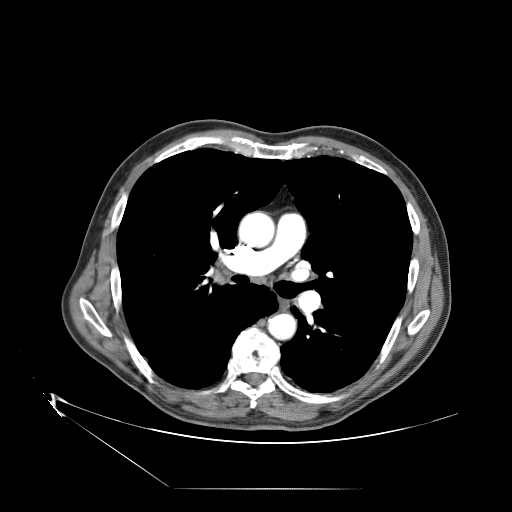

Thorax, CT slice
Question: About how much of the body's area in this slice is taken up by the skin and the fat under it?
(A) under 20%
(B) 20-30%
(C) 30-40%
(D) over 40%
Answer: (A) under 20%
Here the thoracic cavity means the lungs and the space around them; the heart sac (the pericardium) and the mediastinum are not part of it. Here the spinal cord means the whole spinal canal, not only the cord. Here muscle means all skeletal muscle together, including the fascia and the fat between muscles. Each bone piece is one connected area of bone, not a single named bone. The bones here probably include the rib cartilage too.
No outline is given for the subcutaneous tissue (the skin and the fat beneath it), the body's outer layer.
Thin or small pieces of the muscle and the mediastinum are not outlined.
{"mediastinum":[[[299,212],[309,231],[301,253],[311,277],[295,287],[295,294],[301,295],[290,310],[297,320],[297,329],[280,347],[254,324],[277,308],[275,295],[263,285],[233,281],[224,260],[237,244],[238,225],[257,232],[270,232],[287,216],[297,216]],[[283,180],[285,184],[287,186],[288,190],[293,196],[293,198],[294,199],[294,205],[296,207],[296,208],[294,206],[282,206],[278,208],[262,208],[261,209],[257,209],[262,206],[266,205],[275,197],[275,196],[280,189],[280,187],[281,186],[281,184]],[[250,212],[251,212],[250,213],[250,214],[249,214],[248,215],[247,215],[246,216],[246,217],[245,217],[244,218],[244,219],[241,222],[240,222],[239,223],[239,222],[240,221],[240,220],[246,214],[247,214],[248,213],[249,213]]],"thoracic_cavity":[[[204,146],[283,162],[339,156],[401,193],[406,293],[355,381],[311,392],[279,364],[298,329],[296,287],[312,277],[310,231],[283,179],[239,220],[223,260],[276,308],[239,332],[222,379],[174,385],[137,348],[116,251],[129,194],[151,166]]],"bones":[{"outer":[[252,325],[277,344],[281,372],[293,385],[311,393],[337,395],[350,392],[350,395],[328,403],[308,403],[277,387],[258,397],[255,407],[251,408],[250,399],[244,393],[230,388],[224,392],[196,394],[196,391],[212,387],[223,379],[233,343],[241,331]],"hole":[[250,372],[257,372],[258,373],[260,373],[261,374],[262,374],[264,376],[264,379],[259,384],[258,384],[257,385],[256,385],[255,386],[254,386],[253,385],[252,385],[251,384],[250,384],[248,382],[247,382],[245,380],[245,376],[248,373],[249,373]]},[[201,135],[235,135],[256,142],[272,145],[286,145],[293,142],[308,142],[311,145],[316,145],[318,149],[312,152],[309,156],[279,159],[246,156],[241,153],[236,153],[223,145],[208,144],[176,153],[150,166],[150,163],[166,149],[183,141],[188,137]],[[123,334],[127,335],[132,339],[136,348],[138,350],[140,354],[147,361],[149,366],[158,377],[156,379],[157,380],[158,384],[150,383],[140,372],[138,368],[135,365],[134,362],[132,360],[130,356],[130,354],[128,350],[126,348],[126,346],[123,339]],[[80,297],[83,297],[87,299],[92,304],[92,305],[96,310],[98,315],[112,333],[112,336],[111,337],[109,337],[108,336],[106,336],[105,335],[101,334],[96,329],[96,328],[84,317],[83,313],[81,310],[80,305],[79,304],[79,298]],[[400,312],[402,312],[403,314],[403,318],[402,319],[401,325],[400,326],[399,331],[397,334],[397,336],[385,359],[380,364],[378,368],[375,368],[375,366],[376,365],[375,360],[380,352],[380,350],[386,339],[386,337],[391,328],[391,326],[393,322]],[[113,261],[116,261],[117,262],[117,265],[119,269],[119,275],[120,276],[120,285],[121,286],[121,308],[117,313],[115,310],[115,308],[113,304],[113,300],[112,299],[112,294],[111,293],[111,283],[110,282],[110,272],[111,271],[111,268],[113,264]],[[340,148],[342,148],[346,151],[351,151],[357,154],[361,154],[366,156],[368,158],[373,160],[383,167],[388,173],[388,175],[383,174],[378,171],[368,168],[359,163],[357,163],[355,161],[350,159],[350,158],[346,154],[340,154],[338,152],[338,150]],[[124,191],[129,193],[128,194],[127,201],[125,205],[125,208],[124,209],[124,211],[123,212],[119,226],[117,230],[114,230],[110,232],[109,231],[109,229],[111,224],[111,218],[112,217],[112,214],[114,210],[114,207],[120,198],[121,194]],[[424,309],[429,309],[429,311],[430,312],[429,313],[429,315],[428,316],[428,317],[427,318],[426,321],[415,334],[414,334],[413,335],[409,335],[407,332],[407,328],[408,327],[408,325],[409,324],[409,323],[414,318],[414,317],[421,310],[423,310]],[[413,256],[416,256],[417,257],[418,259],[418,262],[419,263],[419,268],[418,269],[417,278],[416,279],[415,285],[413,288],[413,290],[411,293],[408,293],[407,292],[407,280],[408,279],[408,272],[409,271],[409,265],[410,264],[410,260]],[[406,201],[410,201],[411,202],[418,216],[418,218],[419,219],[419,232],[417,235],[415,235],[413,234],[413,232],[411,228],[411,225],[410,224],[410,221],[409,220],[409,218],[408,217],[408,213],[407,212],[407,207],[406,206]]],"spinal_cord":[[[250,372],[257,372],[258,373],[260,373],[261,374],[262,374],[264,376],[264,379],[259,384],[258,384],[257,385],[256,385],[255,386],[254,386],[253,385],[252,385],[251,384],[250,384],[248,382],[247,382],[245,380],[245,376],[248,373],[249,373]]],"pericardium":[[[282,207],[294,207],[298,211],[298,214],[297,215],[287,215],[286,216],[286,219],[282,223],[278,226],[274,227],[270,231],[257,231],[254,229],[250,229],[239,226],[239,224],[247,216],[250,215],[253,211],[261,210],[262,209],[278,209]]],"torso":[[[206,118],[270,132],[312,125],[335,125],[361,132],[388,148],[414,172],[438,212],[447,239],[451,279],[451,309],[445,329],[427,359],[407,379],[335,425],[300,432],[241,431],[179,421],[87,355],[63,323],[61,295],[112,173],[154,134],[178,123]]],"muscle":[{"outer":[[219,128],[248,132],[264,142],[235,134],[188,136],[156,156],[130,191],[124,190],[120,194],[113,207],[108,231],[116,231],[116,260],[112,261],[109,282],[114,310],[117,314],[122,308],[130,334],[122,334],[125,348],[150,384],[158,385],[160,378],[180,388],[198,390],[196,395],[224,393],[230,389],[244,394],[251,409],[256,407],[258,398],[277,388],[308,404],[341,401],[351,395],[350,391],[332,393],[358,380],[374,362],[374,368],[378,369],[398,336],[404,318],[400,310],[418,278],[420,263],[416,255],[412,256],[412,250],[413,235],[420,232],[420,219],[412,202],[405,201],[387,170],[366,155],[342,147],[337,152],[349,158],[326,153],[312,155],[319,147],[308,141],[276,144],[307,135],[337,139],[384,161],[411,191],[427,220],[431,249],[437,255],[444,292],[440,318],[423,347],[390,379],[347,407],[321,411],[306,421],[286,421],[254,410],[245,416],[227,419],[196,415],[150,392],[92,347],[72,321],[68,304],[71,289],[93,250],[99,249],[109,208],[133,167],[177,138]],"holes":[[[80,297],[83,297],[87,299],[92,304],[92,305],[96,310],[98,315],[112,333],[112,336],[111,337],[109,337],[108,336],[106,336],[105,335],[101,334],[96,329],[96,328],[84,317],[83,313],[81,310],[80,305],[79,304],[79,298]],[[424,309],[429,309],[429,311],[430,312],[429,313],[429,315],[428,316],[428,317],[427,318],[426,321],[415,334],[414,334],[413,335],[409,335],[407,332],[407,328],[408,327],[408,325],[409,324],[409,323],[414,318],[414,317],[421,310],[423,310]]]}]}